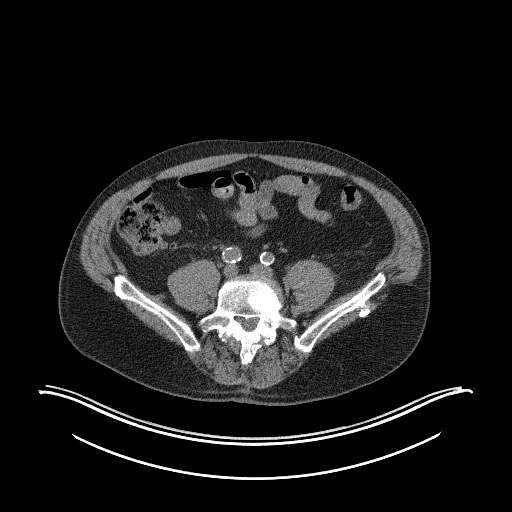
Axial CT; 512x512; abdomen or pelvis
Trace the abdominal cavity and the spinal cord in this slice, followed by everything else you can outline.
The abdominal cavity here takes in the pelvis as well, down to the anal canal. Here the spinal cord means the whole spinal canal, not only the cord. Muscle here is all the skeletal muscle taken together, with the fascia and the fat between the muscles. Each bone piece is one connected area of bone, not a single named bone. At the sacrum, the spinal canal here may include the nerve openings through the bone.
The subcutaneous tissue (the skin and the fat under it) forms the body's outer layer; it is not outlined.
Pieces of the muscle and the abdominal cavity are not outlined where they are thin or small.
The abdominal cavity is outlined by 253,157 352,180 385,212 393,248 361,286 310,318 336,284 322,262 287,266 293,297 287,304 270,277 237,275 218,290 216,264 191,261 166,279 175,303 195,314 190,320 130,278 110,233 120,211 156,181. The spinal cord is outlined by 237,317 238,318 243,318 245,320 247,320 250,318 257,318 258,319 257,320 257,322 256,323 256,325 255,326 255,327 253,329 252,329 251,330 246,330 243,327 243,326 242,325 241,322 236,318. The muscle appears in 2 outlined pieces: piece 1: 255,152 322,162 363,177 390,192 412,217 423,248 422,265 416,278 410,284 397,286 371,312 369,300 387,278 378,271 353,295 315,317 295,334 293,347 310,353 324,332 340,318 356,310 359,317 324,339 296,371 264,389 223,385 197,369 184,351 201,350 193,328 135,284 162,296 166,304 193,321 197,319 196,314 176,303 167,279 191,262 212,261 220,276 215,307 196,324 205,334 215,330 222,343 230,338 239,342 239,361 247,366 263,344 269,346 276,341 277,329 291,332 298,325 294,318 281,312 284,304 294,301 286,280 288,266 300,260 312,260 322,263 334,275 333,290 323,305 309,314 306,318 310,319 331,301 361,287 394,248 396,235 386,212 369,191 352,179 290,169 255,156 159,179 119,211 109,233 110,249 129,277 122,273 112,277 112,291 120,299 95,283 79,259 87,225 98,208 117,191 192,160; piece 2: 121,300 124,300 125,301 128,301 129,302 134,303 148,313 150,313 156,318 157,318 173,333 173,334 182,345 183,349 181,347 176,345 175,343 162,337 156,333 151,328 145,325 126,307 126,306 121,301. The torso is outlined by 220,138 303,140 329,146 377,169 411,200 423,220 430,242 430,305 416,348 398,368 377,381 347,393 298,404 204,401 146,387 87,358 71,344 60,322 58,283 73,232 91,202 123,172 161,151 192,141. The bones appear in 3 outlined pieces: piece 1: 253,275 270,278 279,286 283,303 280,312 294,319 297,325 291,331 277,328 275,341 269,345 263,343 252,361 243,365 239,341 230,337 227,342 222,342 215,329 205,333 197,322 215,309 223,282 237,276 with a hole at 237,317 238,318 243,318 245,320 247,320 250,318 257,318 258,319 257,320 257,322 256,323 256,325 255,326 255,327 253,329 252,329 251,330 246,330 243,327 243,326 242,325 241,322 236,318; piece 2: 378,272 382,272 386,278 384,284 380,289 372,295 368,300 370,305 369,314 365,317 360,317 356,309 340,317 323,332 314,344 310,352 302,352 297,350 294,347 295,335 299,334 315,318 326,313 353,296; piece 3: 116,274 122,274 126,276 147,297 170,310 179,318 183,319 194,331 194,333 200,343 200,350 195,352 186,351 174,333 157,317 136,303 128,300 121,299 117,296 113,291 113,277.